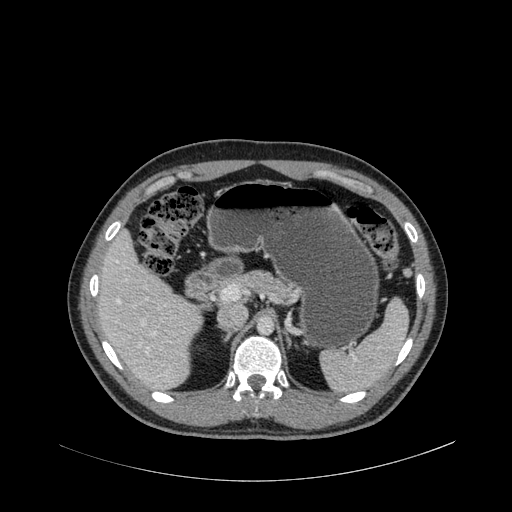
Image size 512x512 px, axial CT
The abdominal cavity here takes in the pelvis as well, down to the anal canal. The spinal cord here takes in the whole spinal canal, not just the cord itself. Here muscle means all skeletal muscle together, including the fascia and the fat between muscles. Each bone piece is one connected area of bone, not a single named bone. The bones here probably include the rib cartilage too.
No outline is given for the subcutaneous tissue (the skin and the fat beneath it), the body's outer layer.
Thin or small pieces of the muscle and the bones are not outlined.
{"abdominal_cavity":[[[339,396],[379,380],[413,323],[410,242],[383,204],[325,179],[296,180],[255,164],[208,181],[177,180],[136,206],[104,253],[96,297],[104,338],[131,375],[169,394],[211,390],[224,381],[245,331],[256,318],[268,315],[275,321],[289,379],[314,393]]],"spinal_cord":[[[254,389],[259,389],[260,388],[260,387],[264,383],[264,382],[265,381],[265,379],[262,376],[261,376],[260,375],[258,375],[257,374],[256,374],[255,375],[252,375],[251,376],[250,376],[248,378],[248,383]]],"bones":[{"outer":[[256,403],[267,392],[271,392],[275,399],[279,398],[282,394],[281,388],[288,387],[289,381],[281,367],[281,353],[277,345],[267,337],[250,335],[236,348],[232,368],[228,371],[223,388],[235,385],[232,395],[235,400],[240,400],[240,394],[247,391]],"hole":[[254,389],[259,389],[260,388],[260,387],[264,383],[264,382],[265,381],[265,379],[262,376],[261,376],[260,375],[258,375],[257,374],[256,374],[255,375],[252,375],[251,376],[250,376],[248,378],[248,383]]},[[368,193],[371,193],[373,191],[372,188],[370,186],[366,185],[358,180],[352,179],[345,176],[342,176],[335,173],[333,171],[326,170],[325,169],[318,169],[315,170],[313,172],[313,176],[314,177],[329,178],[338,181],[343,185],[357,188]],[[146,195],[150,195],[152,194],[158,189],[160,189],[162,187],[166,185],[173,183],[177,179],[183,179],[184,178],[189,177],[191,175],[191,173],[189,171],[180,171],[175,175],[171,175],[170,176],[162,177],[150,184],[145,189],[144,193]],[[120,370],[122,370],[123,369],[123,366],[119,361],[119,360],[118,359],[115,352],[106,340],[105,340],[104,339],[103,340],[102,340],[101,341],[101,344],[103,347],[103,349],[104,350],[105,353],[107,355],[107,356],[109,358],[109,359]],[[395,366],[398,365],[405,358],[405,357],[409,352],[412,346],[412,343],[413,342],[413,339],[411,337],[408,337],[406,339],[406,340],[404,342],[404,344],[400,349],[398,353],[398,355],[396,358],[396,360],[393,364],[393,365]],[[348,403],[352,403],[353,402],[356,402],[357,401],[362,399],[366,395],[366,391],[365,390],[361,390],[360,391],[357,391],[356,392],[349,393],[348,394],[346,394],[345,395],[340,397],[339,398],[339,400],[340,401],[341,401],[342,402],[347,402]],[[107,241],[109,241],[115,235],[115,234],[117,233],[117,232],[119,230],[121,226],[123,225],[123,222],[119,220],[116,220],[114,221],[107,228],[104,234],[104,238],[105,240]],[[419,299],[421,299],[422,298],[423,296],[423,294],[424,293],[424,291],[425,290],[425,281],[424,280],[423,275],[420,272],[418,273],[416,273],[416,275],[415,276],[415,279],[416,280],[415,282],[415,285],[416,286],[416,294],[417,295],[417,298]],[[412,243],[415,243],[416,242],[417,242],[417,241],[418,240],[418,236],[417,235],[417,232],[416,231],[415,228],[413,226],[413,225],[410,222],[409,222],[408,221],[405,221],[403,223],[403,225],[402,226],[403,227],[406,234],[408,236],[410,241]],[[164,403],[166,403],[167,402],[171,402],[173,401],[174,399],[173,397],[163,392],[160,392],[159,391],[152,391],[151,393],[151,396],[152,398],[156,401],[159,401],[160,402],[163,402]],[[93,297],[95,297],[96,296],[96,295],[97,294],[97,290],[98,289],[98,275],[97,274],[93,274],[91,276],[91,277],[90,278],[90,280],[89,281],[89,289],[90,290],[90,293],[91,294],[91,295]]],"muscle":[{"outer":[[307,430],[319,429],[333,424],[342,423],[367,411],[391,389],[411,368],[419,356],[425,344],[425,342],[429,336],[434,318],[434,314],[435,313],[436,283],[434,280],[434,272],[433,271],[433,268],[430,263],[429,253],[428,252],[427,244],[425,238],[420,228],[420,226],[411,212],[394,194],[384,186],[381,185],[375,180],[355,170],[348,168],[342,168],[337,165],[334,165],[331,163],[327,163],[326,162],[305,161],[304,160],[282,160],[281,159],[261,159],[260,160],[254,160],[253,159],[228,159],[227,160],[204,161],[203,162],[198,162],[191,164],[182,164],[165,170],[159,171],[130,189],[118,202],[101,227],[96,237],[95,243],[87,259],[87,262],[84,267],[84,270],[80,283],[78,308],[80,311],[81,322],[86,338],[100,364],[120,385],[125,392],[131,397],[158,415],[178,423],[183,423],[184,424],[194,425],[195,426],[214,426],[215,425],[223,424],[229,421],[237,421],[245,418],[254,418],[256,419],[261,417],[266,419],[271,418],[274,421],[278,423],[281,423],[289,427],[302,428]],"holes":[[[164,403],[173,401],[171,394],[208,391],[222,382],[223,388],[236,386],[235,400],[247,391],[257,403],[267,392],[279,398],[290,380],[314,393],[338,395],[342,402],[362,399],[365,390],[392,365],[398,365],[412,346],[408,335],[415,298],[421,299],[425,290],[423,275],[414,270],[410,243],[417,242],[418,236],[413,225],[405,221],[401,226],[383,204],[346,188],[371,193],[370,186],[325,169],[315,170],[313,178],[296,180],[255,164],[208,181],[184,180],[191,173],[180,171],[150,184],[144,193],[151,196],[136,206],[124,224],[116,220],[105,231],[104,238],[110,243],[100,272],[90,278],[89,289],[96,298],[105,353],[120,370],[126,369],[151,389],[153,399]],[[256,417],[259,417],[260,416],[260,414],[259,413],[258,413],[257,412],[257,407],[256,406],[255,407],[255,411],[253,413],[253,416],[255,416]]]}],"mediastinum":[[[277,344],[277,337],[276,336],[276,333],[275,332],[275,325],[274,324],[274,321],[272,318],[268,316],[262,316],[256,319],[256,320],[246,331],[245,333],[245,336],[247,336],[250,334],[259,334],[260,335],[264,335],[265,336],[267,336],[271,338]]],"torso":[[[284,441],[333,437],[371,426],[407,394],[435,350],[445,323],[448,279],[438,244],[412,199],[382,171],[350,153],[308,142],[243,138],[203,140],[166,150],[138,167],[117,188],[76,253],[67,284],[67,311],[75,341],[108,395],[149,426],[178,435]]]}